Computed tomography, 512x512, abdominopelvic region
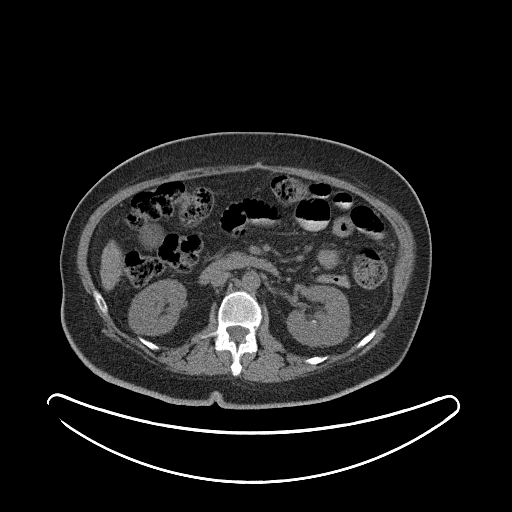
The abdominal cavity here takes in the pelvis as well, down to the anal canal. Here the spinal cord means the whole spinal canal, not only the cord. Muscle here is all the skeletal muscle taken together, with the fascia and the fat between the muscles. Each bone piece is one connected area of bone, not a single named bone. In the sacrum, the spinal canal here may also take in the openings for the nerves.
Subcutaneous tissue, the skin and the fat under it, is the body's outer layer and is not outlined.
The bones appear in 5 outlined pieces: piece 1: [[234,291],[245,291],[250,294],[258,302],[262,313],[261,322],[256,330],[257,350],[245,352],[241,355],[241,371],[237,376],[234,376],[231,371],[232,355],[230,351],[226,349],[216,350],[212,336],[201,337],[201,335],[217,328],[217,311],[222,299]] with a hole at [[230,326],[240,326],[241,327],[243,327],[244,328],[246,328],[247,329],[247,330],[248,331],[247,332],[247,333],[244,336],[244,337],[243,338],[243,340],[237,342],[236,341],[231,339],[231,338],[230,337],[230,335],[227,331],[227,328]]; piece 2: [[94,289],[96,289],[101,294],[101,295],[103,297],[103,298],[106,303],[106,305],[107,306],[107,311],[108,312],[108,313],[106,315],[105,314],[104,314],[99,309],[99,308],[98,307],[98,306],[97,305],[97,304],[93,297],[93,290]]; piece 3: [[374,328],[375,328],[376,329],[376,332],[375,333],[375,334],[373,336],[373,337],[367,343],[366,343],[363,346],[362,346],[361,347],[360,347],[359,348],[357,348],[356,347],[356,345],[357,344],[357,343],[362,338],[363,338],[371,330],[372,330]]; piece 4: [[324,355],[328,355],[328,357],[325,360],[324,360],[323,361],[322,361],[319,363],[317,363],[316,364],[310,364],[309,363],[307,363],[304,361],[305,360],[305,359],[306,359],[307,358],[309,358],[310,357],[312,357],[313,356],[323,356]]; piece 5: [[138,337],[141,337],[142,338],[143,338],[144,339],[145,339],[146,340],[147,340],[150,342],[152,342],[154,344],[157,345],[159,347],[159,349],[158,350],[153,350],[152,349],[149,348],[146,345],[145,345],[143,343],[142,343],[139,340]]. The spinal cord is outlined by [[230,326],[240,326],[241,327],[243,327],[244,328],[246,328],[247,329],[247,330],[248,331],[247,332],[247,333],[244,336],[244,337],[243,338],[243,340],[237,342],[236,341],[231,339],[231,338],[230,337],[230,335],[227,331],[227,328]]. The abdominal cavity is outlined by [[251,169],[345,189],[387,219],[398,247],[391,301],[383,319],[344,351],[308,357],[289,351],[270,332],[263,304],[245,290],[234,290],[218,307],[212,304],[207,324],[179,346],[158,345],[122,330],[88,265],[90,241],[104,215],[132,194],[165,180]]. The torso is outlined by [[222,131],[287,132],[341,142],[386,162],[409,183],[429,227],[431,276],[417,330],[394,371],[327,401],[265,409],[227,409],[215,402],[177,405],[110,383],[89,369],[73,351],[61,323],[59,255],[66,224],[78,202],[106,173],[144,150],[187,136]]. The muscle is outlined by [[257,161],[260,161],[263,164],[266,165],[282,165],[283,166],[306,168],[311,170],[319,171],[322,173],[328,174],[340,179],[343,179],[359,187],[362,190],[380,198],[389,205],[393,206],[407,221],[412,232],[415,245],[414,248],[415,253],[414,268],[412,272],[410,282],[405,291],[401,304],[394,318],[385,330],[385,336],[374,347],[371,348],[366,353],[351,362],[337,365],[336,364],[321,372],[312,373],[307,376],[298,377],[292,380],[282,381],[281,382],[273,382],[272,383],[248,382],[239,379],[237,377],[228,378],[226,377],[227,376],[226,375],[200,375],[197,376],[196,375],[184,375],[171,372],[168,370],[163,369],[160,366],[147,361],[136,352],[113,340],[110,337],[106,336],[101,330],[103,327],[102,320],[98,315],[93,305],[92,298],[86,292],[83,287],[79,274],[77,272],[77,265],[76,264],[76,256],[77,255],[77,249],[80,239],[80,235],[91,214],[102,203],[119,189],[144,180],[194,167],[203,167],[213,165],[227,165],[228,164],[252,164]] with a hole at [[251,169],[293,174],[345,189],[390,223],[398,242],[391,301],[375,334],[363,346],[357,348],[355,343],[319,363],[307,363],[307,356],[289,351],[270,332],[263,304],[257,350],[241,355],[241,371],[234,376],[230,351],[216,350],[212,336],[201,337],[217,328],[215,303],[207,324],[189,341],[175,347],[159,345],[158,350],[122,330],[109,313],[99,309],[93,297],[96,287],[88,251],[106,213],[132,194],[165,180]].